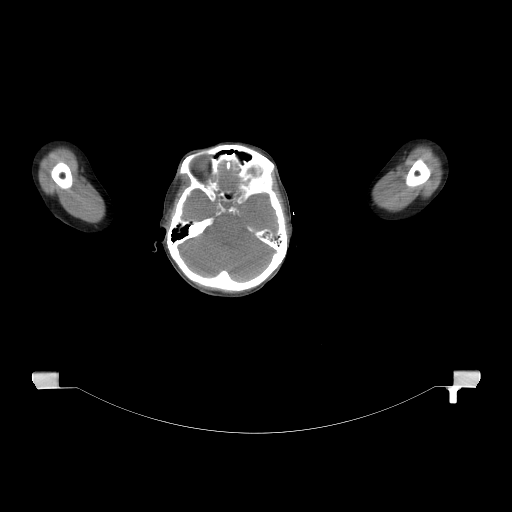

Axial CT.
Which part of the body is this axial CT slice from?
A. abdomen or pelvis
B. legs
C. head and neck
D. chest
Answer: C. head and neck
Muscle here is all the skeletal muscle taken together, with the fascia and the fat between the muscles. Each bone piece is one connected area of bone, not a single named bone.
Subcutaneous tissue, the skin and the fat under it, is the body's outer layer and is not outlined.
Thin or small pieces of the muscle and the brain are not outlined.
Outlined structures:
head: 223 140; 249 142; 274 158; 289 199; 293 230; 300 237; 298 252; 295 237; 291 240; 287 259; 277 275; 265 287; 241 299; 222 299; 201 293; 180 279; 160 242; 153 251; 154 241; 165 234; 159 227; 164 196; 181 157; 190 149
right arm: 55 138; 63 138; 70 140; 81 148; 88 158; 93 171; 97 178; 111 197; 115 209; 115 215; 112 223; 105 230; 98 233; 85 233; 74 229; 55 218; 42 201; 33 183; 32 179; 32 175; 31 174; 32 159; 36 150; 42 144
brain 1: 258 194; 268 196; 277 227; 274 231; 268 227; 254 229; 250 225; 246 228; 273 249; 267 264; 255 275; 241 280; 232 277; 226 269; 213 275; 203 275; 192 269; 183 258; 179 246; 202 234; 214 223; 215 216; 237 215; 237 206
brain 2: 194 190; 199 190; 201 191; 211 202; 213 202; 214 203; 215 202; 215 206; 217 210; 214 213; 214 215; 211 215; 210 216; 208 216; 198 220; 196 219; 185 219; 183 218; 183 210; 184 209; 184 205; 185 204; 185 202; 187 198
brain 3: 223 166; 223 167; 227 171; 232 171; 232 173; 233 175; 235 176; 238 180; 235 185; 235 187; 233 188; 234 189; 226 189; 225 188; 224 189; 221 185; 221 182; 220 180; 221 179; 221 174; 222 173; 222 168
muscle 1: 58 146; 65 146; 73 151; 78 160; 77 165; 79 171; 96 189; 102 197; 105 204; 106 211; 105 212; 105 216; 99 222; 97 223; 89 223; 70 215; 64 210; 55 197; 47 195; 42 190; 38 179; 39 162; 44 155; 53 148; inner edge: 60 161; 62 162; 64 162; 69 167; 70 169; 70 171; 71 172; 71 175; 72 176; 72 184; 69 188; 67 188; 66 189; 63 189; 61 188; 54 181; 50 173; 52 168; 58 162
muscle 2: 418 144; 426 144; 430 146; 441 160; 443 173; 438 186; 429 197; 425 199; 421 199; 418 197; 405 208; 396 212; 388 211; 377 206; 372 199; 372 190; 375 184; 387 172; 393 169; 399 163; 403 162; 406 159; 406 156; 408 153 with a hole at 419 158; 420 158; 427 165; 427 166; 430 169; 430 175; 429 177; 426 180; 426 181; 425 181; 423 183; 419 185; 417 185; 416 186; 408 186; 405 183; 405 178; 407 175; 407 173; 408 171; 410 169; 413 163; 417 159
muscle 3: 180 175; 186 175; 188 178; 188 184; 181 192; 174 206; 173 211; 170 217; 170 222; 167 228; 165 225; 166 215; 167 214; 168 208; 170 205; 170 203; 172 201; 172 198; 173 197; 174 192; 176 190; 176 188; 180 182
muscle 4: 275 170; 276 179; 279 188; 284 198; 284 203; 287 210; 288 223; 289 224; 289 236; 288 237; 287 229; 286 228; 286 220; 285 219; 285 215; 283 211; 283 208; 281 202; 273 188; 274 185; 274 177; 273 176; 273 173
muscle 5: 195 283; 197 284; 199 284; 204 287; 209 287; 213 289; 217 289; 218 290; 221 290; 222 291; 228 291; 229 292; 236 292; 225 292; 224 291; 221 291; 220 290; 215 290; 214 289; 208 289; 207 288; 205 288; 204 287; 199 286
left arm: 419 136; 428 137; 435 140; 438 142; 445 150; 449 159; 449 173; 448 174; 446 183; 440 193; 435 199; 417 215; 403 221; 385 221; 382 220; 374 215; 368 208; 365 201; 365 192; 366 189; 374 176; 388 161; 396 150; 407 140
bones 1: 222 144; 239 144; 243 145; 261 153; 273 162; 275 168; 272 173; 273 177; 272 188; 275 192; 282 208; 285 220; 286 234; 288 238; 287 251; 281 263; 261 283; 252 288; 241 291; 222 290; 209 286; 204 286; 199 283; 192 281; 179 268; 172 258; 167 247; 166 231; 170 225; 171 217; 175 206; 182 192; 189 184; 189 178; 187 175; 179 173; 179 169; 182 161; 187 156; 191 154; inner edges: 258 194; 268 196; 277 227; 274 231; 268 227; 254 229; 250 225; 246 228; 273 249; 267 264; 255 275; 241 280; 232 277; 226 269; 213 275; 203 275; 192 269; 183 258; 179 246; 202 234; 214 223; 215 216; 237 215; 237 206, then 194 190; 199 190; 201 191; 211 202; 213 202; 214 203; 215 202; 215 206; 217 210; 214 213; 214 215; 211 215; 210 216; 208 216; 198 220; 196 219; 185 219; 183 218; 183 210; 184 209; 184 205; 185 204; 185 202; 187 198, then 205 154; 207 155; 210 155; 209 157; 209 160; 210 161; 210 172; 209 173; 209 176; 205 180; 205 181; 202 181; 200 180; 195 175; 194 175; 194 174; 191 170; 190 165; 191 164; 191 162; 196 157; 198 157; 201 155; 204 155, then 223 166; 223 167; 227 171; 232 171; 232 173; 233 175; 235 176; 238 180; 235 185; 235 187; 233 188; 234 189; 226 189; 225 188; 224 189; 221 185; 221 182; 220 180; 221 179; 221 174; 222 173; 222 168
bones 2: 419 158; 420 158; 427 165; 427 166; 430 169; 430 175; 429 177; 426 180; 426 181; 425 181; 423 183; 419 185; 417 185; 416 186; 408 186; 405 183; 405 178; 407 175; 407 173; 408 171; 410 169; 413 163; 417 159
bones 3: 60 161; 62 162; 64 162; 69 167; 70 169; 70 171; 71 172; 71 175; 72 176; 72 184; 69 188; 67 188; 66 189; 63 189; 61 188; 54 181; 50 173; 52 168; 58 162